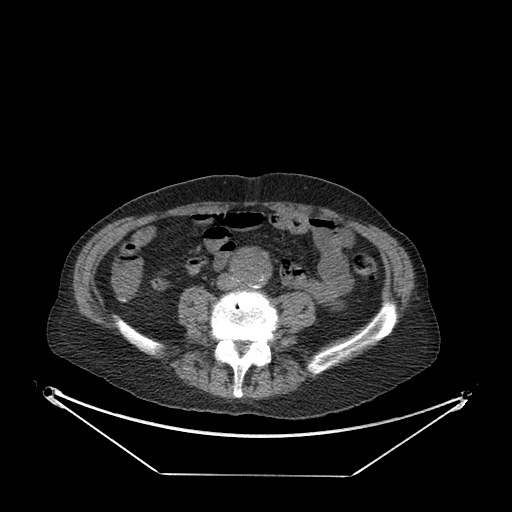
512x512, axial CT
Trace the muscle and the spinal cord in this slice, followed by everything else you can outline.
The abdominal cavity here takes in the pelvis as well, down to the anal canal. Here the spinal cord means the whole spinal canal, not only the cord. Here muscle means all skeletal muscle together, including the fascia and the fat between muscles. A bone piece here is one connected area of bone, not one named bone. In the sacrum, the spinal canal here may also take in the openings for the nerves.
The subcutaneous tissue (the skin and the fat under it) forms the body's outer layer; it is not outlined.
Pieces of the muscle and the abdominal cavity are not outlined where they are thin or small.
The muscle appears in 4 outlined pieces: piece 1: (246, 200) (290, 201) (326, 207) (376, 226) (396, 239) (412, 264) (414, 287) (409, 305) (391, 335) (398, 321) (398, 308) (391, 299) (382, 303) (386, 267) (378, 247) (344, 222) (290, 215) (260, 204) (241, 204) (222, 211) (168, 215) (158, 218) (127, 231) (103, 255) (94, 274) (95, 286) (104, 305) (113, 312) (111, 317) (114, 326) (126, 340) (90, 321) (78, 311) (72, 285) (74, 266) (82, 248) (106, 225) (139, 212) (174, 208) (194, 202); piece 2: (289, 292) (304, 292) (315, 309) (315, 321) (295, 334) (298, 346) (316, 350) (366, 325) (344, 341) (314, 353) (305, 369) (317, 376) (303, 382) (298, 389) (268, 398) (239, 399) (244, 394) (242, 386) (248, 369) (272, 361) (269, 342) (274, 339) (280, 319) (272, 299); piece 3: (192, 286) (201, 286) (216, 299) (210, 305) (208, 320) (210, 335) (216, 340) (213, 357) (217, 362) (231, 367) (234, 399) (226, 399) (184, 384) (150, 356) (159, 356) (163, 351) (164, 345) (156, 340) (177, 344) (186, 338) (186, 328) (179, 322) (178, 304) (183, 291); piece 4: (382, 339) (383, 339) (379, 344) (365, 351) (363, 353) (360, 354) (357, 357) (355, 357) (352, 359) (350, 359) (343, 363) (341, 363) (337, 365) (341, 360) (345, 358) (347, 358) (349, 356) (350, 356) (353, 352) (360, 350) (368, 345) (372, 345) (375, 342) (379, 341). The spinal cord is outlined by (236, 340) (240, 340) (241, 341) (246, 341) (247, 340) (248, 340) (249, 341) (250, 341) (250, 343) (247, 346) (247, 349) (246, 349) (242, 353) (241, 353) (236, 348) (236, 347) (235, 346) (235, 344) (234, 343) (234, 341) (235, 341). The abdominal cavity is outlined by (241, 205) (334, 220) (372, 242) (385, 278) (371, 319) (310, 349) (298, 345) (296, 336) (316, 321) (314, 303) (304, 291) (271, 300) (253, 287) (217, 298) (201, 285) (186, 287) (177, 304) (185, 338) (177, 343) (141, 333) (108, 308) (95, 274) (127, 232) (168, 216). The bones appear in 3 outlined pieces: piece 1: (253, 288) (265, 294) (276, 307) (278, 327) (273, 331) (273, 339) (268, 342) (271, 361) (263, 366) (253, 364) (247, 369) (241, 386) (243, 394) (237, 398) (233, 395) (232, 367) (217, 361) (214, 357) (217, 340) (211, 335) (210, 311) (211, 305) (222, 294) (236, 289), around a hole outlined by (236, 340) (240, 340) (241, 341) (246, 341) (247, 340) (248, 340) (249, 341) (250, 341) (250, 343) (247, 346) (247, 349) (246, 349) (242, 353) (241, 353) (236, 348) (236, 347) (235, 346) (235, 344) (234, 343) (234, 341) (235, 341); piece 2: (388, 300) (391, 300) (396, 304) (398, 315) (397, 321) (388, 335) (375, 341) (372, 344) (368, 344) (360, 349) (353, 351) (350, 355) (341, 359) (336, 365) (320, 373) (313, 375) (306, 369) (306, 365) (314, 354) (326, 348) (344, 342) (359, 333) (377, 313) (382, 304); piece 3: (113, 313) (117, 314) (126, 323) (141, 334) (153, 340) (158, 341) (161, 343) (163, 345) (163, 348) (161, 353) (159, 355) (156, 355) (155, 356) (150, 355) (147, 353) (140, 351) (135, 345) (130, 343) (121, 334) (120, 331) (115, 326) (114, 320) (112, 317) (112, 314). The torso is outlined by (275, 171) (313, 175) (347, 187) (366, 198) (414, 243) (426, 269) (441, 336) (437, 359) (429, 367) (358, 406) (319, 417) (287, 420) (159, 405) (110, 385) (50, 350) (46, 322) (57, 296) (63, 263) (72, 245) (95, 222) (128, 200) (169, 184) (210, 174) (256, 176).